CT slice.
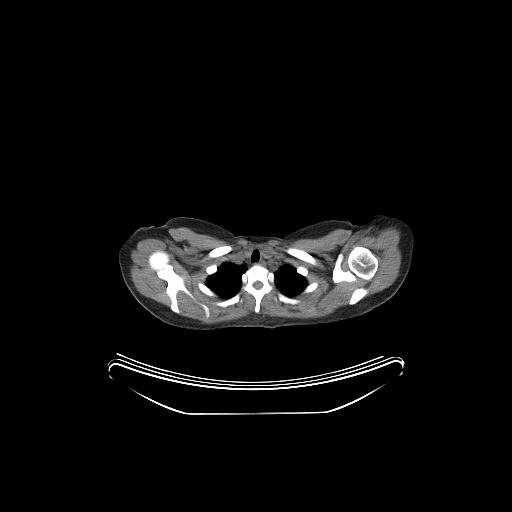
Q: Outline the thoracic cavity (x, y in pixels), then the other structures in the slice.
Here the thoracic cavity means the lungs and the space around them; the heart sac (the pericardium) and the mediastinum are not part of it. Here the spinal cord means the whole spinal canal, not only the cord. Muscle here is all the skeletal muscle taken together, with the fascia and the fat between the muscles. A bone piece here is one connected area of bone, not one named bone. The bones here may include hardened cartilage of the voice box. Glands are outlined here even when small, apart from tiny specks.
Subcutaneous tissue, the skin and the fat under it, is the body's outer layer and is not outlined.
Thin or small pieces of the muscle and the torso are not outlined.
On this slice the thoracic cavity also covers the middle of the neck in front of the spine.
A: Outlines:
thoracic cavity: 255,248 262,251 265,259 273,256 293,266 307,282 302,291 293,296 282,293 275,285 274,273 259,263 249,266 241,275 240,288 232,296 223,299 212,290 206,284 208,276 236,256 243,254 248,259 250,250
thyroid glands 1: 263,251 264,251 265,251 266,251 267,252 268,252 269,253 270,253 271,254 272,255 272,256 271,257 270,257 269,258 268,258 267,258 266,258 265,258 264,257 263,256 263,255 262,254 262,253 262,252
thyroid glands 2: 245,251 246,251 247,251 248,251 249,251 250,252 250,253 250,254 249,255 249,256 249,257 248,258 247,258 246,257 246,256 245,255 244,254 244,253 244,252
bones 1: 355,246 366,247 375,255 378,261 378,267 376,272 369,280 358,277 355,281 352,282 341,281 335,283 332,278 332,271 338,255 340,253 343,255 341,262 341,268 345,271 347,270 348,269 347,257 350,251
bones 2: 254,264 259,264 273,273 275,286 271,291 266,293 261,298 259,312 256,313 254,311 255,298 246,291 240,292 240,297 242,299 241,302 239,301 225,307 216,305 216,301 228,299 240,291 242,275 249,267 with a hole at 257,281 258,281 259,281 260,282 261,283 262,284 262,285 261,286 261,287 260,288 259,288 258,289 257,289 256,288 255,288 254,287 254,286 253,285 253,284 254,283 255,282 256,282
bones 3: 156,250 162,250 168,253 169,263 173,267 173,270 183,278 186,288 193,296 192,298 181,290 177,293 176,298 179,313 175,313 170,308 171,301 166,293 167,282 158,277 156,272 151,269 148,264 149,255
bones 4: 289,247 294,247 298,249 301,249 307,252 309,254 310,254 315,259 316,261 316,263 315,264 312,264 309,262 304,261 299,258 297,258 289,254 286,251 287,248
bones 5: 359,287 364,287 365,288 367,288 368,289 368,292 359,301 358,301 356,303 355,303 354,304 349,305 348,302 349,301 349,299 351,296 351,294 352,293 353,290 354,289 355,289 356,288 358,288
bones 6: 222,245 230,245 231,246 232,249 229,252 228,252 225,254 220,255 217,257 214,257 213,258 212,257 210,257 208,255 209,252 211,250 212,250 214,248 215,248 216,247 218,247 219,246 221,246
bones 7: 278,292 280,292 282,294 283,294 288,297 292,297 293,298 298,299 300,301 298,303 296,303 295,304 292,304 291,303 285,303 284,302 282,302 279,300 276,301 274,299 274,298 277,296 277,293
bones 8: 199,282 201,282 202,283 204,283 212,291 213,291 216,294 216,295 215,295 214,296 210,296 209,295 207,295 205,293 204,293 202,291 201,291 200,290 200,289 198,287 198,283
bones 9: 315,281 316,281 318,283 318,285 317,286 317,287 313,291 311,291 310,292 307,292 305,294 304,294 303,293 303,290 306,287 306,286 309,283 311,283 312,282 314,282
bones 10: 211,264 215,264 217,266 217,269 216,270 216,271 214,273 213,273 212,274 211,274 210,275 207,275 207,274 206,273 206,267 207,266 208,266 209,265 210,265
bones 11: 298,266 302,266 303,267 305,267 307,269 307,270 308,271 308,273 307,274 307,276 306,277 305,277 304,276 303,276 301,274 300,274 297,271 297,270 296,269 296,268
bones 12: 201,304 204,304 205,305 206,305 208,307 208,308 209,309 209,316 208,317 206,317 205,316 205,313 204,312 204,310 203,309 203,308 201,306
spinal cord: 257,281 258,281 259,281 260,282 261,283 262,284 262,285 261,286 261,287 260,288 259,288 258,289 257,289 256,288 255,288 254,287 254,286 253,285 253,284 254,283 255,282 256,282
muscle: 370,226 399,229 401,263 397,277 388,287 364,298 369,289 354,288 348,305 322,317 288,318 259,313 262,298 275,288 279,291 273,298 276,302 295,305 301,301 294,296 313,292 319,283 308,283 309,271 305,266 295,267 256,247 218,266 207,265 205,283 197,283 207,296 222,299 214,302 221,308 241,303 241,292 254,298 255,313 233,320 203,323 178,314 178,293 192,299 194,296 174,270 165,250 152,251 147,264 166,282 169,308 141,294 130,277 131,249 142,239 162,238 170,228 187,227 229,241 243,238 260,243 316,238 339,228 355,232, around holes outlined by 355,246 366,247 375,255 378,261 378,267 376,272 369,280 358,277 355,281 352,282 341,281 335,283 332,278 332,271 338,255 340,253 343,255 341,262 341,268 345,271 347,270 348,269 347,257 350,251 and by 289,247 294,247 298,249 301,249 307,252 309,254 310,254 315,259 316,261 316,263 315,264 312,264 309,262 304,261 299,258 297,258 289,254 286,251 287,248 and by 222,245 230,245 231,246 232,249 229,252 228,252 225,254 220,255 217,257 214,257 213,258 212,257 210,257 208,255 209,252 211,250 212,250 214,248 215,248 216,247 218,247 219,246 221,246 and by 201,304 204,304 205,305 206,305 208,307 208,308 209,309 209,316 208,317 206,317 205,316 205,313 204,312 204,310 203,309 203,308 201,306
torso: 178,216 207,220 237,235 278,237 324,220 349,221 356,224 348,233 343,247 344,260 350,273 365,289 392,296 365,314 326,324 214,330 193,330 168,325 149,313 125,284 143,282 168,264 172,245 161,225
left arm: 376,212 401,217 409,223 414,234 414,247 413,248 412,261 409,271 404,281 398,290 393,295 385,295 373,292 365,288 351,273 346,263 344,256 344,247 346,239 349,233 356,225 361,225 365,223
right arm: 149,225 161,226 165,230 169,238 171,245 171,254 170,255 170,258 167,264 155,275 143,281 135,282 134,283 125,283 122,278 120,271 120,267 118,262 118,248 122,241 136,228 138,228 141,226 148,226